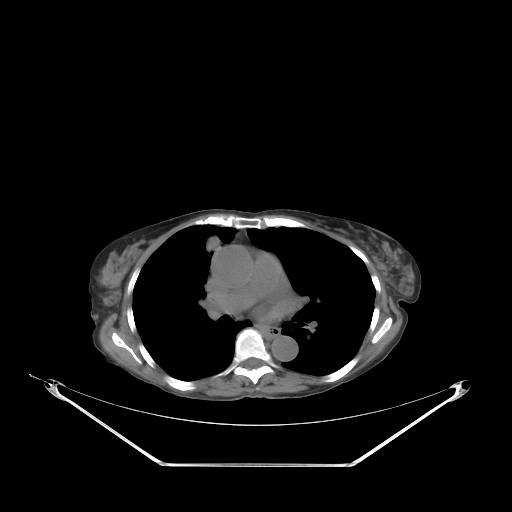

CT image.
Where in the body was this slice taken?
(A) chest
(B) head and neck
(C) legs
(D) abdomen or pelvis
Answer: (A) chest
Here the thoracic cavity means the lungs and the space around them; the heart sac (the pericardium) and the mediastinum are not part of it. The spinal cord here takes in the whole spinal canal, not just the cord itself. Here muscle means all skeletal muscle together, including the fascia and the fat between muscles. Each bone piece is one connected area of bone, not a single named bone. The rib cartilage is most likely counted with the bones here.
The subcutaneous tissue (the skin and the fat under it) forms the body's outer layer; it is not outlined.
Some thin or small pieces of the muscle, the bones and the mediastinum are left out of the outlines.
{"torso":[[[208,208],[305,210],[361,222],[395,238],[412,254],[421,273],[418,299],[413,303],[399,303],[408,313],[400,341],[365,373],[324,392],[298,398],[246,397],[208,401],[180,397],[106,362],[91,339],[93,321],[88,283],[93,259],[104,246],[125,233]]],"thoracic_cavity":[[[195,225],[215,225],[235,229],[229,241],[222,241],[213,246],[203,287],[220,314],[228,316],[235,322],[248,321],[250,325],[242,328],[235,335],[232,359],[223,370],[199,379],[183,380],[168,374],[142,342],[134,318],[132,294],[148,258],[173,234]],[[270,227],[305,228],[324,234],[346,246],[367,268],[375,290],[370,322],[356,354],[336,370],[316,375],[280,365],[292,361],[300,349],[298,342],[291,335],[282,332],[284,324],[295,310],[295,293],[280,258],[275,253],[258,246],[248,234],[249,229]]],"muscle":[[[280,367],[300,373],[321,376],[320,380],[322,382],[329,383],[300,391],[277,393],[244,392],[229,396],[183,392],[194,390],[197,387],[196,380],[209,376],[214,378],[223,377],[232,372],[234,375],[247,377],[256,385],[263,375],[272,374],[275,369]],{"outer":[[131,272],[126,294],[132,296],[132,302],[125,310],[129,329],[132,333],[137,331],[141,339],[137,348],[144,361],[151,368],[157,364],[161,367],[167,373],[162,379],[172,388],[149,380],[118,363],[99,341],[99,329],[106,317],[121,305],[122,293]],"hole":[[113,332],[115,332],[124,341],[124,342],[132,349],[134,353],[141,360],[141,363],[139,363],[137,362],[137,361],[133,357],[133,356],[128,350],[127,350],[123,347],[121,347],[120,346],[118,346],[116,345],[113,342],[112,340],[112,333]]},[[366,254],[382,276],[403,319],[398,332],[380,354],[357,372],[338,380],[358,363],[357,353],[366,333],[373,333],[370,342],[375,344],[393,323],[393,318],[388,316],[375,331],[380,316],[375,297],[381,292],[381,285],[378,276],[368,270],[370,261]],[[216,213],[225,213],[219,214],[210,214],[204,218],[198,218],[189,223],[185,224],[180,229],[168,237],[147,258],[141,267],[140,266],[137,266],[135,267],[132,271],[135,265],[135,263],[141,253],[163,233],[173,227],[192,218],[204,214],[215,214]],[[272,214],[294,216],[314,222],[346,237],[351,240],[358,247],[350,243],[348,244],[347,246],[343,243],[326,235],[324,233],[313,229],[310,229],[305,223],[294,218],[291,218],[283,215],[264,215],[262,217],[257,216],[260,216],[261,215],[271,215]]],"mediastinum":[[[209,267],[209,283],[220,306],[230,314],[249,317],[264,314],[277,304],[287,285],[285,271],[294,293],[294,310],[281,332],[291,336],[298,344],[298,353],[292,360],[276,362],[267,350],[261,333],[250,326],[250,321],[235,321],[219,312],[204,287]],[[236,229],[248,229],[247,234],[249,238],[251,241],[257,246],[255,246],[245,242],[232,241],[229,243],[226,243],[222,245],[217,245],[214,248],[212,255],[212,250],[214,246],[222,242],[224,242],[225,243],[229,242],[232,239],[234,234],[236,232]]],"spinal_cord":[[[249,358],[257,358],[258,359],[259,359],[262,362],[262,364],[261,365],[260,365],[258,367],[256,367],[255,368],[251,368],[250,369],[249,369],[248,368],[245,367],[243,365],[243,364],[244,363],[244,361],[245,361],[247,359],[248,359]]],"bones":[{"outer":[[246,327],[251,327],[260,333],[266,350],[272,359],[279,364],[279,368],[275,368],[272,373],[268,372],[263,374],[258,379],[256,384],[254,384],[247,376],[237,375],[232,371],[226,375],[214,377],[214,375],[223,371],[231,363],[235,353],[236,335]],"hole":[[249,358],[257,358],[258,359],[259,359],[262,362],[262,364],[261,365],[260,365],[258,367],[256,367],[255,368],[251,368],[250,369],[249,369],[248,368],[245,367],[243,365],[243,364],[244,363],[244,361],[245,361],[247,359],[248,359]]},[[220,214],[232,214],[236,216],[259,217],[260,218],[264,216],[283,216],[299,221],[305,224],[308,228],[287,226],[277,227],[270,226],[265,228],[235,228],[228,226],[220,226],[215,224],[195,224],[182,228],[185,225],[198,219],[204,219],[210,215]],[[357,354],[359,356],[359,359],[357,363],[344,376],[343,376],[341,378],[333,382],[324,382],[321,380],[321,377],[322,376],[324,375],[326,375],[327,374],[329,374],[334,371],[336,371],[338,369],[342,367],[345,364],[346,364],[350,360],[351,360]],[[166,374],[174,378],[176,378],[177,379],[179,379],[183,381],[196,381],[196,387],[192,390],[185,390],[184,391],[182,391],[181,390],[179,390],[178,389],[173,388],[171,387],[163,379],[163,377],[164,375]],[[388,317],[391,317],[392,318],[392,323],[391,324],[391,326],[390,327],[390,328],[375,343],[372,343],[371,342],[371,340],[372,339],[372,337],[373,336],[373,335],[374,334],[374,333],[381,326],[381,325],[383,323],[383,322],[385,320],[385,319]],[[113,332],[115,332],[124,341],[124,342],[132,349],[134,353],[141,360],[141,363],[139,363],[137,362],[137,361],[133,357],[133,356],[128,350],[127,350],[123,347],[121,347],[120,346],[118,346],[116,345],[113,342],[112,340],[112,333]],[[139,343],[142,343],[143,344],[143,345],[145,347],[145,348],[147,350],[147,351],[149,353],[149,354],[151,356],[151,357],[156,363],[156,365],[154,367],[151,367],[145,361],[145,360],[143,358],[143,357],[138,348],[138,345],[139,344]],[[137,267],[140,267],[141,268],[140,269],[139,274],[136,279],[136,281],[134,284],[134,286],[133,287],[133,290],[132,291],[132,293],[130,295],[128,295],[127,294],[127,286],[128,285],[128,282],[131,277],[132,272],[134,270],[134,269]],[[374,306],[378,306],[379,307],[379,316],[378,317],[378,320],[376,323],[376,325],[374,328],[374,331],[370,333],[368,332],[368,329],[369,328],[369,326],[371,322],[371,319],[372,318],[372,314],[373,313]],[[129,306],[131,306],[132,308],[132,311],[133,312],[133,318],[134,319],[134,322],[135,323],[135,326],[136,327],[136,331],[135,332],[132,332],[131,331],[130,327],[129,326],[129,324],[128,323],[128,321],[127,320],[127,315],[126,314],[126,310]],[[350,244],[351,245],[353,245],[355,247],[358,248],[360,250],[361,250],[365,254],[365,255],[367,257],[367,258],[369,261],[369,264],[368,265],[366,265],[366,264],[355,253],[354,253],[354,252],[353,251],[352,251],[348,247],[348,245],[349,245]]],"pericardium":[[[232,242],[245,243],[269,252],[275,255],[278,258],[281,265],[283,266],[285,279],[286,280],[286,285],[276,304],[264,313],[252,316],[237,314],[236,313],[230,313],[221,306],[214,294],[210,283],[210,266],[214,250],[217,246],[222,246]]]}